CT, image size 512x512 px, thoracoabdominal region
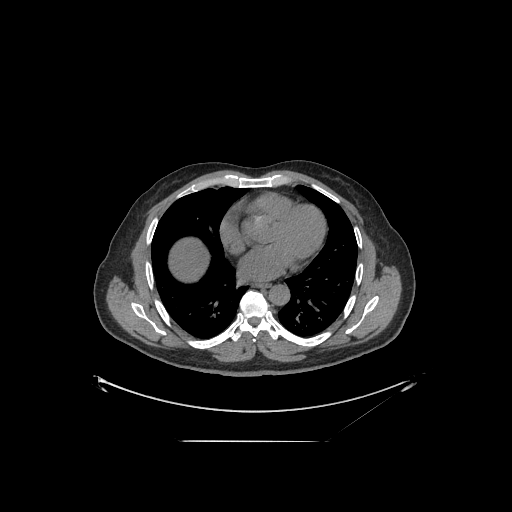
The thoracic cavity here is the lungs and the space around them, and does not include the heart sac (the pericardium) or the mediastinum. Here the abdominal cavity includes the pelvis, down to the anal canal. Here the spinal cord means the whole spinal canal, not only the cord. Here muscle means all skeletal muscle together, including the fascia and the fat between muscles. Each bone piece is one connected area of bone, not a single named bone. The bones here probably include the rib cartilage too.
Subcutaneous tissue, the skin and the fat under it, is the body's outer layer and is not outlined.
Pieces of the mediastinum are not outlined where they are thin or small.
The spinal cord is outlined by (252, 317) (257, 317) (258, 318) (259, 318) (259, 322) (255, 326) (253, 326) (252, 325) (251, 325) (249, 323) (249, 322) (248, 321) (248, 320) (250, 318) (251, 318). The thoracic cavity appears in 2 outlined pieces: piece 1: (225, 186) (248, 189) (230, 205) (219, 226) (219, 235) (224, 256) (235, 270) (237, 284) (246, 286) (247, 289) (239, 299) (238, 309) (234, 319) (226, 328) (209, 338) (193, 338) (172, 319) (160, 299) (155, 285) (151, 261) (151, 244) (160, 218) (175, 200) (207, 188); inner edge: (188, 237) (197, 238) (207, 249) (207, 251) (209, 253) (209, 257) (210, 258) (209, 259) (209, 264) (204, 274) (199, 279) (199, 280) (193, 283) (184, 283) (177, 280) (170, 272) (167, 264) (168, 254) (170, 249) (174, 243) (178, 240) (180, 240) (182, 238) (187, 238); piece 2: (299, 184) (312, 188) (341, 207) (352, 226) (357, 246) (357, 263) (354, 272) (354, 281) (341, 313) (325, 330) (306, 337) (287, 329) (275, 316) (290, 301) (291, 292) (286, 280) (301, 273) (313, 261) (323, 247) (328, 232) (328, 224) (323, 212) (298, 191) (296, 187). The abdominal cavity is outlined by (188, 237) (197, 238) (207, 249) (207, 251) (209, 253) (209, 257) (210, 258) (209, 259) (209, 264) (204, 274) (199, 279) (199, 280) (193, 283) (184, 283) (177, 280) (170, 272) (167, 264) (168, 254) (170, 249) (174, 243) (178, 240) (180, 240) (182, 238) (187, 238). The muscle is outlined by (225, 169) (250, 176) (227, 172) (196, 181) (178, 192) (162, 215) (155, 215) (147, 227) (145, 244) (150, 246) (150, 260) (144, 262) (144, 274) (149, 289) (152, 291) (155, 286) (157, 290) (159, 298) (155, 297) (153, 303) (164, 323) (171, 327) (172, 320) (192, 338) (188, 337) (185, 342) (198, 350) (216, 346) (227, 339) (236, 342) (244, 332) (250, 333) (251, 340) (255, 342) (260, 331) (266, 331) (273, 340) (281, 337) (300, 346) (315, 347) (332, 335) (333, 331) (327, 329) (341, 314) (343, 320) (347, 318) (357, 297) (351, 293) (352, 287) (354, 282) (360, 285) (364, 273) (364, 264) (357, 260) (358, 249) (363, 247) (361, 231) (356, 224) (352, 225) (340, 199) (322, 186) (314, 182) (309, 186) (293, 183) (293, 176) (281, 172) (260, 176) (283, 169) (313, 177) (353, 204) (376, 247) (378, 260) (397, 268) (402, 286) (399, 303) (392, 319) (380, 333) (362, 343) (312, 351) (297, 361) (273, 360) (258, 352) (248, 360) (224, 362) (205, 351) (166, 349) (147, 344) (118, 324) (106, 302) (107, 288) (115, 275) (126, 282) (131, 281) (130, 255) (149, 209) (191, 180); inner edges: (375, 295) (377, 295) (379, 298) (374, 308) (371, 311) (368, 312) (365, 315) (361, 323) (356, 328) (355, 328) (350, 333) (345, 333) (345, 331) (346, 329) (354, 325) (361, 318) (361, 316) (363, 313) (363, 310) (364, 309) (364, 307) (366, 303) (373, 296), then (132, 302) (139, 303) (143, 307) (143, 309) (144, 310) (145, 314) (152, 321) (153, 321) (155, 323) (156, 326) (159, 329) (165, 331) (166, 334) (165, 335) (163, 335) (157, 332) (149, 322) (148, 322) (145, 319) (138, 316) (134, 312) (134, 311) (131, 307) (131, 303). The torso is outlined by (294, 159) (325, 164) (361, 183) (371, 192) (390, 224) (406, 243) (415, 273) (415, 295) (404, 325) (392, 341) (328, 367) (291, 374) (238, 377) (165, 363) (114, 338) (102, 327) (93, 301) (96, 270) (118, 226) (144, 191) (166, 174) (192, 163) (220, 161) (258, 167). The pericardium is outlined by (264, 190) (285, 192) (294, 196) (298, 196) (314, 204) (319, 208) (326, 220) (327, 232) (324, 243) (317, 255) (307, 266) (298, 273) (270, 280) (248, 280) (244, 279) (238, 273) (232, 260) (226, 253) (220, 235) (220, 226) (224, 216) (235, 204) (247, 196) (250, 196). The mediastinum appears in 3 outlined pieces: piece 1: (236, 270) (237, 273) (244, 280) (248, 281) (270, 281) (278, 278) (286, 278) (297, 274) (285, 280) (285, 283) (289, 288) (290, 292) (289, 301) (277, 312) (277, 315) (274, 315) (270, 309) (269, 303) (261, 292) (255, 289) (248, 289) (246, 285) (238, 284) (236, 278); piece 2: (292, 184) (295, 184) (296, 185) (295, 188) (297, 191) (307, 200) (298, 195) (294, 195) (285, 191) (280, 191) (274, 189) (264, 189) (250, 195) (247, 195) (235, 203) (228, 210) (231, 205) (236, 200) (243, 196) (250, 188) (273, 188) (278, 186) (291, 185); piece 3: (225, 251) (225, 253) (227, 255) (227, 256) (229, 258) (229, 259) (230, 260) (231, 260) (231, 261) (232, 262) (232, 263) (233, 264) (233, 265) (235, 267) (235, 269) (235, 268) (231, 264) (231, 263) (228, 260) (228, 259) (225, 256). The bones appear in 11 outlined pieces: piece 1: (249, 289) (263, 295) (275, 318) (290, 332) (306, 338) (331, 330) (331, 335) (315, 346) (304, 346) (281, 336) (273, 339) (266, 330) (260, 330) (253, 341) (252, 334) (244, 331) (236, 341) (227, 338) (208, 348) (192, 347) (186, 342) (188, 338) (209, 339) (230, 325); inner edge: (252, 317) (257, 317) (258, 318) (259, 318) (259, 322) (255, 326) (253, 326) (252, 325) (251, 325) (249, 323) (249, 322) (248, 321) (248, 320) (250, 318) (251, 318); piece 2: (227, 173) (235, 174) (240, 177) (266, 177) (277, 173) (281, 173) (293, 177) (294, 180) (291, 184) (283, 184) (273, 187) (250, 187) (248, 188) (247, 187) (233, 187) (228, 185) (207, 187) (175, 199) (175, 197) (178, 193) (192, 184) (207, 178) (221, 176); piece 3: (375, 295) (377, 295) (379, 298) (374, 308) (371, 311) (368, 312) (365, 315) (361, 323) (356, 328) (355, 328) (350, 333) (345, 333) (345, 331) (346, 329) (354, 325) (361, 318) (361, 316) (363, 313) (363, 310) (364, 309) (364, 307) (366, 303) (373, 296); piece 4: (132, 302) (139, 303) (143, 307) (143, 309) (144, 310) (145, 314) (152, 321) (153, 321) (155, 323) (156, 326) (159, 329) (165, 331) (166, 334) (165, 335) (163, 335) (157, 332) (149, 322) (148, 322) (145, 319) (138, 316) (134, 312) (134, 311) (131, 307) (131, 303); piece 5: (155, 298) (157, 298) (161, 301) (161, 302) (164, 306) (165, 309) (169, 314) (169, 315) (171, 318) (171, 326) (168, 326) (165, 323) (165, 322) (162, 319) (161, 316) (159, 314) (159, 313) (155, 306) (155, 304) (154, 303) (154, 299); piece 6: (146, 260) (149, 260) (151, 262) (151, 266) (152, 267) (152, 273) (153, 274) (153, 277) (154, 278) (154, 288) (152, 290) (151, 290) (150, 289) (150, 288) (148, 285) (148, 283) (147, 282) (147, 279) (146, 278) (146, 275) (145, 274) (145, 262) (146, 261); piece 7: (155, 216) (157, 216) (159, 218) (159, 219) (158, 220) (157, 225) (155, 228) (155, 230) (154, 231) (154, 233) (153, 234) (153, 236) (151, 240) (151, 243) (150, 245) (147, 245) (146, 244) (146, 235) (147, 234) (147, 230) (148, 229) (148, 227) (152, 219); piece 8: (351, 294) (355, 294) (355, 295) (356, 296) (356, 297) (355, 298) (355, 302) (353, 305) (353, 307) (352, 308) (351, 311) (348, 314) (348, 315) (346, 317) (346, 318) (343, 319) (342, 312) (343, 311) (343, 309) (347, 302) (347, 300) (349, 298) (349, 297); piece 9: (311, 183) (314, 183) (322, 187) (324, 189) (325, 189) (327, 191) (328, 191) (330, 193) (331, 193) (333, 195) (337, 197) (340, 201) (339, 204) (335, 201) (334, 201) (332, 199) (331, 199) (329, 197) (326, 196) (321, 192) (311, 187) (310, 186) (310, 184); piece 10: (358, 262) (361, 262) (363, 264) (363, 273) (362, 274) (362, 277) (361, 278) (361, 281) (360, 282) (360, 283) (359, 284) (359, 285) (357, 285) (355, 283) (355, 272) (356, 271) (356, 267) (357, 266) (357, 264) (358, 263); piece 11: (354, 225) (356, 225) (358, 227) (358, 228) (360, 231) (360, 233) (361, 234) (361, 238) (362, 239) (362, 247) (360, 249) (359, 249) (358, 248) (358, 246) (357, 245) (357, 242) (356, 241) (356, 238) (355, 237) (355, 234) (354, 233) (354, 231) (353, 230) (353, 226).